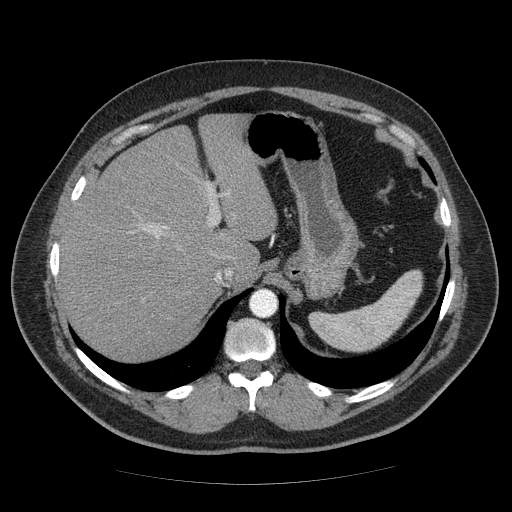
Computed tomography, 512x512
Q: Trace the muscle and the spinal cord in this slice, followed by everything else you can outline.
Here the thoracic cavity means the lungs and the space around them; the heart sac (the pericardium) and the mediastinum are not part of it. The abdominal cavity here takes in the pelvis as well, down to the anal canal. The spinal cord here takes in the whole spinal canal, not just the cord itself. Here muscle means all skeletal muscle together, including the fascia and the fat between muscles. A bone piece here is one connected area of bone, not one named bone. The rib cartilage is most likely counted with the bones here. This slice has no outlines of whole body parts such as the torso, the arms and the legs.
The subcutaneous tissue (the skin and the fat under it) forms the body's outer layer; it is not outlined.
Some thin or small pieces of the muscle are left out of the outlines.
A: The muscle is outlined by 237,85 296,86 297,87 319,90 324,92 329,92 367,103 393,116 401,122 407,124 415,130 425,140 437,158 441,168 444,172 449,188 451,191 458,214 459,224 461,225 462,246 464,256 466,259 467,291 468,293 464,312 462,316 462,322 459,330 459,335 451,351 437,365 424,373 409,386 396,394 391,399 389,399 369,409 360,412 354,416 328,427 319,429 312,429 311,430 289,431 278,427 271,421 264,418 257,412 248,412 237,419 228,423 223,428 216,431 207,433 185,432 158,422 149,416 147,416 139,411 133,409 130,406 99,391 96,388 83,381 60,359 55,349 53,335 51,331 50,318 46,308 45,294 43,286 44,252 46,247 46,240 48,236 48,229 54,215 58,199 69,174 78,160 104,134 119,125 123,124 149,110 155,109 170,102 181,100 184,98 192,96 196,96 215,89 219,89 229,86 236,86 with a hole at 258,91 297,98 354,118 364,112 375,114 414,139 415,147 407,146 429,165 437,199 445,198 451,218 450,225 443,227 450,274 455,278 449,307 415,358 391,377 396,382 363,401 344,400 361,387 333,388 329,396 316,395 277,350 267,362 273,382 257,390 254,411 248,409 247,390 229,382 233,364 222,351 191,382 195,388 186,397 167,398 164,391 128,384 130,393 120,391 95,376 74,351 77,345 49,265 52,245 60,243 76,203 70,199 72,190 80,176 86,177 87,184 96,177 122,147 111,139 125,129 143,123 156,128 218,100. The spinal cord is outlined by 250,359 252,359 253,360 256,360 259,362 261,362 263,366 263,368 262,370 259,373 259,374 257,376 253,378 249,378 239,371 239,364 242,362 244,362. The bones appear in 11 outlined pieces: piece 1: 245,317 267,323 276,339 276,352 267,362 267,367 274,379 271,385 262,386 257,390 254,411 248,409 249,395 247,390 242,386 235,387 229,382 228,374 233,369 233,364 225,356 222,349 227,327 231,322; inner edge: 250,359 252,359 253,360 256,360 259,362 261,362 263,366 263,368 262,370 259,373 259,374 257,376 253,378 249,378 239,371 239,364 242,362 244,362; piece 2: 74,346 77,346 94,363 95,363 101,369 102,369 109,375 118,380 120,382 122,382 125,384 126,387 128,388 131,392 130,393 126,393 125,392 120,391 106,384 96,376 95,376 79,359 73,349 73,347; piece 3: 395,377 397,378 396,382 388,390 379,395 377,395 372,398 370,398 363,401 354,402 353,403 347,403 344,400 344,397 346,395 353,394 362,388 364,388 371,385 374,385 382,381 387,380 390,378 394,378; piece 4: 364,112 378,115 382,117 387,123 392,123 402,129 414,139 416,144 415,147 411,147 409,145 407,145 397,137 388,131 386,131 384,129 385,128 385,125 383,123 373,123 367,120 360,119 358,116 361,113; piece 5: 143,123 152,123 154,125 153,129 151,129 149,131 146,131 143,133 140,133 134,135 131,138 129,138 124,141 122,145 115,145 111,143 111,139 113,137 118,135 125,129 131,126 134,126; piece 6: 451,275 453,275 455,278 455,287 454,288 453,295 452,296 449,307 446,311 442,320 440,322 437,323 437,319 439,315 440,308 441,307 441,305 443,301 443,298 445,294 445,290 446,289 449,278; piece 7: 189,383 192,383 195,386 195,388 193,391 192,391 186,397 184,397 180,399 172,399 171,398 167,398 164,396 164,394 166,391 176,388 177,387 179,387 180,386 182,386 183,385 185,385 186,384 188,384; piece 8: 55,241 58,242 58,243 59,244 59,263 58,264 58,273 57,274 57,281 56,282 54,280 54,278 51,273 51,270 50,269 50,266 49,265 49,255 50,254 50,252 51,251 51,249 52,248 52,245; piece 9: 305,379 307,379 313,382 315,382 316,383 318,383 319,384 327,386 330,388 332,388 332,390 333,391 332,394 329,396 325,396 324,397 320,397 316,395 314,393 313,393 307,387; piece 10: 441,196 443,196 445,198 446,200 446,202 447,203 447,205 448,206 448,208 449,209 449,213 450,214 450,217 451,218 451,223 449,226 444,226 443,225 442,223 442,220 440,216 440,211 439,210 439,200; piece 11: 82,175 84,175 86,177 86,185 84,187 84,188 83,189 81,194 79,196 79,197 75,201 72,201 70,199 70,196 71,195 72,190 73,189 76,182 78,180 78,179 80,177 80,176 81,176. The abdominal cavity is outlined by 258,91 370,122 418,155 435,184 446,244 435,304 405,336 377,351 324,357 298,340 280,290 257,283 224,301 197,336 174,353 124,363 92,349 68,325 58,287 62,230 85,187 137,136 218,100. The thoracic cavity appears in 3 outlined pieces: piece 1: 446,245 450,275 436,322 419,353 399,372 364,387 333,388 306,378 284,358 281,353 280,336 279,296 281,294 285,298 285,319 299,343 308,351 320,357 334,359 368,355 401,340 430,313 442,289 446,266; piece 2: 248,288 252,288 251,292 237,303 229,315 221,345 222,351 219,353 211,367 195,380 165,391 140,389 115,378 94,362 76,344 69,330 70,326 87,346 115,362 124,364 151,362 174,354 190,344 224,302; piece 3: 418,156 421,156 427,162 427,163 429,165 433,173 433,175 435,178 435,181 436,183 434,183 432,181 432,180 430,179 428,174 426,172 424,168 421,165 421,164 418,161. The mediastinum is outlined by 257,284 269,284 272,286 275,286 281,293 278,296 280,352 277,350 277,339 275,333 267,322 265,322 255,317 245,316 241,317 235,321 231,321 227,326 228,320 234,308 244,297 247,296 252,292 253,288.